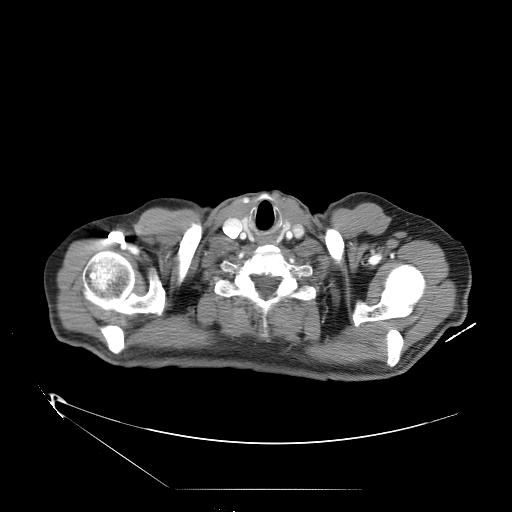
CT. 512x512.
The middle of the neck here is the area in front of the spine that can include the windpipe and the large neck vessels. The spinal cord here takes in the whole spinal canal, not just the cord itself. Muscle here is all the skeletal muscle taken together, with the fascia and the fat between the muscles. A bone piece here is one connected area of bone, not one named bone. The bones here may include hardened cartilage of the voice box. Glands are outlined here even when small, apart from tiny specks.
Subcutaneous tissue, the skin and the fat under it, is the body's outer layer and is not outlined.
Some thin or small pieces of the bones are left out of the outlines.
middle of the neck: 263,199 274,201 290,218 301,224 304,231 303,236 294,242 290,242 281,246 278,246 273,243 265,243 257,245 255,243 252,243 246,240 232,239 228,237 222,231 223,223 230,216 245,211 254,202 257,202, around a hole outlined by 245,217 247,217 247,221 248,222 248,225 249,226 249,229 250,230 251,235 254,239 254,240 253,241 251,241 249,239 249,238 248,237 247,234 245,232 245,231 244,230 244,228 242,225 241,220
right arm: 113,214 140,242 140,289 111,308 102,311 95,315 93,315 60,330 57,330 48,320 48,310 47,309 47,304 46,303 46,299 43,289 43,268 44,267 45,261 49,254 72,230 89,221
spinal cord: 252,275 269,275 272,277 279,277 279,281 277,283 277,284 276,285 276,287 275,288 275,290 273,292 273,294 272,295 271,295 266,298 265,298 264,297 262,297 258,292 258,291 255,286 255,283 252,278
torso: 271,188 297,197 312,212 349,193 367,191 415,213 374,264 372,288 402,306 462,323 447,329 406,372 345,382 232,368 124,368 56,339 49,323 60,331 141,289 141,242 114,214 163,196 215,206 238,194
bones 1: 265,244 277,246 290,263 310,265 311,275 299,278 298,285 318,287 313,299 284,297 271,307 266,316 267,339 260,336 261,314 252,302 214,291 214,277 234,279 232,273 221,268 223,260 241,264 258,246 with a hole at 252,275 269,275 272,277 279,277 279,281 277,283 277,284 276,285 276,287 275,288 275,290 273,292 273,294 272,295 271,295 266,298 265,298 264,297 262,297 258,292 258,291 255,286 255,283 252,278
bones 2: 102,251 115,252 124,257 130,263 135,276 132,291 138,296 143,296 148,291 148,272 150,268 155,269 165,291 166,298 164,309 160,315 154,313 125,314 114,310 105,310 90,302 84,297 82,272 92,256
bones 3: 401,263 407,263 415,266 422,273 425,280 426,286 424,293 414,305 412,311 404,317 366,321 362,322 358,326 355,326 353,323 352,314 356,302 360,300 368,305 376,304 380,300 387,275 393,268
bones 4: 194,222 200,222 201,223 202,226 202,235 201,238 199,240 199,242 191,259 189,267 187,270 187,273 183,281 181,283 178,283 178,263 179,262 178,261 177,253 179,249 179,244 186,230 189,228 191,224
bones 5: 390,328 394,328 396,329 401,334 403,338 403,345 402,346 402,348 400,352 400,358 399,360 396,363 396,364 393,366 390,366 386,364 386,360 387,359 387,344 386,343 386,334 388,330
bones 6: 108,324 111,324 112,325 117,325 119,326 123,330 123,332 124,333 124,348 120,353 114,353 112,352 108,348 107,344 106,343 106,341 105,340 105,338 100,330 100,327 101,326 103,326 104,325 107,325
bones 7: 328,227 331,227 337,230 339,232 343,240 343,243 344,244 344,249 343,250 343,253 342,254 342,259 341,260 341,262 339,264 337,263 331,256 331,255 329,253 329,251 325,243 324,235 325,234 325,231
muscle: 271,192 295,200 321,230 334,209 373,202 409,236 442,248 456,280 454,310 399,365 321,363 249,337 112,355 63,327 56,273 73,241 101,238 155,206 198,208 210,227 222,207 258,194 221,225 228,238 257,246 241,263 221,261 233,279 214,276 213,291 252,303 267,340 274,305 313,300 319,289 299,285 312,266 290,262 279,247 305,231, around holes outlined by 102,251 115,252 124,257 130,263 135,276 132,291 138,296 143,296 148,291 148,272 150,268 155,269 165,291 166,298 164,309 160,315 154,313 125,314 114,310 105,310 90,302 84,297 82,272 92,256 and by 401,263 407,263 415,266 422,273 425,280 426,286 424,293 414,305 412,311 404,317 366,321 362,322 358,326 355,326 353,323 352,314 356,302 360,300 368,305 376,304 380,300 387,275 393,268 and by 194,222 200,222 201,223 202,226 202,235 201,238 199,240 199,242 191,259 189,267 187,270 187,273 183,281 181,283 178,283 178,263 179,262 178,261 177,253 179,249 179,244 186,230 189,228 191,224 and by 390,328 394,328 396,329 401,334 403,338 403,345 402,346 402,348 400,352 400,358 399,360 396,363 396,364 393,366 390,366 386,364 386,360 387,359 387,344 386,343 386,334 388,330 and by 108,324 111,324 112,325 117,325 119,326 123,330 123,332 124,333 124,348 120,353 114,353 112,352 108,348 107,344 106,343 106,341 105,340 105,338 100,330 100,327 101,326 103,326 104,325 107,325 and by 328,227 331,227 337,230 339,232 343,240 343,243 344,244 344,249 343,250 343,253 342,254 342,259 341,260 341,262 339,264 337,263 331,256 331,255 329,253 329,251 325,243 324,235 325,234 325,231
thyroid glands 1: 245,217 247,217 247,221 248,222 248,225 249,226 249,229 250,230 251,235 254,239 254,240 253,241 251,241 249,239 249,238 248,237 247,234 245,232 245,231 244,230 244,228 242,225 241,220
thyroid glands 2: 285,219 287,219 290,222 290,226 289,227 289,229 283,235 283,237 280,241 280,242 277,242 277,239 278,238 279,235 281,233 281,231 282,230 282,228 283,227 283,224 284,223 284,221 285,220
left arm: 415,214 425,216 433,220 454,238 461,241 466,248 471,265 472,284 468,298 469,307 467,315 463,322 462,321 457,321 456,320 428,315 420,311 397,303 391,300 390,298 387,298 373,288 374,286 375,264